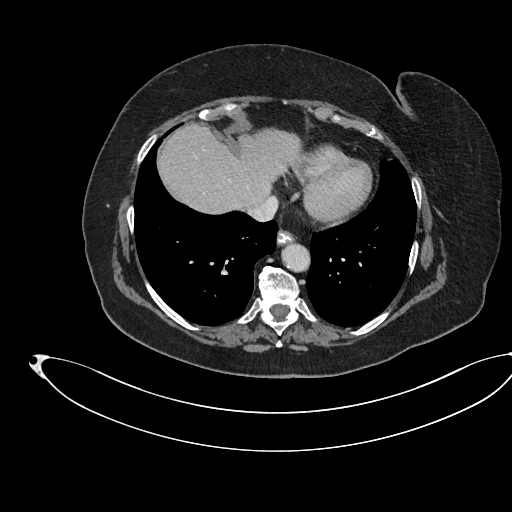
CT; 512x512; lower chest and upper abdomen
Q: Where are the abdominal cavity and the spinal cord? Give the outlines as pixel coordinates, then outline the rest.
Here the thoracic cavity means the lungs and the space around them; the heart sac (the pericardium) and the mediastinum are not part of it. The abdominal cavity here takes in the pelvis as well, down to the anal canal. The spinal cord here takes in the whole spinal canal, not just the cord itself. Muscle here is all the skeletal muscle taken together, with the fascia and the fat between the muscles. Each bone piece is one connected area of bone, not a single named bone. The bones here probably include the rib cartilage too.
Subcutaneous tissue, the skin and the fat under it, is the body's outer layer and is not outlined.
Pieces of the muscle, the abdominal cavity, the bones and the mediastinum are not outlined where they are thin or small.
A: The abdominal cavity is outlined by (243, 109) (251, 125) (243, 133) (271, 128) (298, 135) (301, 141) (300, 152) (271, 185) (271, 194) (258, 205) (246, 208) (246, 213) (233, 210) (221, 214) (208, 214) (174, 199) (162, 183) (156, 166) (157, 150) (163, 138) (182, 122) (214, 120) (225, 115) (237, 114). The spinal cord is outlined by (276, 304) (280, 304) (281, 305) (285, 305) (288, 307) (288, 312) (286, 314) (285, 317) (283, 319) (282, 319) (281, 320) (276, 320) (275, 319) (274, 316) (271, 313) (271, 311) (270, 310) (271, 307) (272, 306) (273, 306). The mediastinum appears in 2 outlined pieces: piece 1: (300, 153) (299, 158) (280, 178) (281, 198) (312, 229) (324, 230) (311, 235) (310, 264) (304, 289) (290, 272) (279, 266) (265, 264) (256, 277) (254, 275) (256, 262) (275, 249) (278, 225) (273, 219) (259, 221) (249, 215) (246, 209) (258, 206) (272, 194) (272, 185); piece 2: (266, 102) (299, 106) (318, 120) (344, 128) (352, 128) (381, 142) (395, 156) (390, 159) (384, 158) (379, 162) (378, 164) (379, 173) (379, 180) (378, 185) (379, 174) (378, 173) (376, 165) (370, 153) (366, 149) (332, 137) (308, 134) (301, 152) (302, 141) (298, 134) (271, 127) (255, 128) (243, 132) (252, 125) (244, 109). The thoracic cavity appears in 2 outlined pieces: piece 1: (178, 124) (162, 138) (155, 155) (157, 173) (171, 197) (203, 214) (221, 215) (238, 211) (259, 222) (273, 220) (277, 225) (273, 251) (258, 259) (253, 267) (258, 295) (237, 318) (217, 325) (190, 322) (159, 295) (146, 277) (135, 242) (133, 202) (139, 168) (158, 138); piece 2: (394, 157) (399, 160) (409, 176) (416, 207) (414, 236) (404, 279) (386, 308) (358, 327) (343, 327) (330, 323) (316, 315) (301, 295) (302, 289) (304, 290) (307, 285) (307, 275) (311, 264) (310, 243) (312, 235) (315, 232) (343, 224) (365, 209) (378, 189) (380, 162). The torso is outlined by (246, 43) (287, 44) (327, 54) (371, 72) (392, 92) (400, 73) (423, 72) (452, 86) (474, 108) (499, 159) (501, 241) (483, 306) (472, 320) (359, 370) (263, 378) (174, 359) (136, 342) (107, 318) (81, 227) (86, 186) (104, 140) (126, 101) (158, 72) (208, 50). The muscle appears in 2 outlined pieces: piece 1: (376, 126) (409, 156) (421, 174) (447, 255) (448, 278) (438, 291) (373, 334) (327, 354) (290, 353) (282, 347) (280, 338) (276, 340) (274, 348) (262, 352) (226, 349) (194, 339) (149, 309) (136, 304) (117, 288) (111, 266) (113, 236) (118, 206) (137, 152) (135, 160) (138, 171) (133, 201) (126, 207) (125, 218) (145, 275) (143, 285) (151, 299) (169, 318) (190, 331) (232, 321) (233, 325) (244, 325) (258, 318) (273, 329) (278, 337) (301, 316) (311, 323) (317, 323) (319, 317) (339, 327) (354, 328) (348, 332) (353, 336) (373, 330) (391, 313) (387, 307) (406, 274) (410, 276) (415, 269) (420, 246) (414, 238) (416, 219) (417, 211) (422, 207) (422, 188) (418, 175) (409, 175) (400, 160) (383, 143) (384, 136); piece 2: (239, 95) (270, 95) (327, 101) (351, 113) (361, 116) (372, 123) (355, 118) (344, 117) (337, 112) (333, 112) (326, 106) (318, 106) (314, 108) (310, 107) (307, 110) (308, 112) (299, 105) (288, 104) (288, 101) (284, 98) (281, 101) (259, 102) (255, 105) (244, 108) (237, 102) (226, 102) (214, 107) (205, 107) (197, 112) (196, 116) (198, 119) (182, 121) (172, 126) (160, 136) (154, 132) (147, 137) (147, 134) (155, 126) (184, 110) (214, 99). The bones appear in 9 outlined pieces: piece 1: (265, 265) (282, 268) (290, 273) (299, 282) (301, 290) (300, 295) (318, 318) (319, 320) (317, 322) (311, 322) (301, 315) (295, 322) (290, 324) (280, 336) (278, 336) (273, 328) (264, 323) (258, 317) (244, 324) (233, 324) (233, 321) (241, 316) (259, 295) (257, 275); inner edge: (276, 304) (280, 304) (281, 305) (285, 305) (288, 307) (288, 312) (286, 314) (285, 317) (283, 319) (282, 319) (281, 320) (276, 320) (275, 319) (274, 316) (271, 313) (271, 311) (270, 310) (271, 307) (272, 306) (273, 306); piece 2: (318, 107) (326, 107) (333, 113) (337, 113) (344, 118) (355, 119) (363, 122) (367, 122) (373, 124) (382, 134) (383, 141) (382, 142) (375, 138) (367, 136) (352, 127) (344, 127) (339, 124) (334, 123) (328, 117) (324, 120) (316, 118) (308, 110) (310, 108) (314, 109); piece 3: (144, 278) (146, 278) (147, 279) (150, 285) (155, 290) (158, 295) (173, 310) (174, 310) (190, 323) (194, 325) (199, 325) (200, 326) (200, 329) (199, 330) (190, 330) (182, 326) (169, 317) (156, 304) (156, 303) (150, 296) (144, 285) (144, 282) (143, 281) (143, 279); piece 4: (226, 103) (237, 103) (241, 106) (242, 108) (241, 110) (242, 111) (240, 111) (237, 113) (232, 113) (231, 114) (220, 114) (214, 119) (210, 119) (209, 120) (204, 120) (203, 119) (200, 119) (198, 118) (197, 116) (198, 112) (202, 109) (204, 109) (205, 108) (214, 108); piece 5: (387, 308) (389, 308) (390, 309) (390, 313) (381, 323) (380, 323) (373, 329) (368, 331) (366, 333) (364, 333) (360, 335) (353, 335) (349, 333) (349, 332) (351, 330) (356, 329) (360, 326) (363, 325) (365, 323) (368, 322) (370, 320) (373, 319); piece 6: (154, 133) (156, 133) (158, 135) (158, 137) (155, 141) (155, 142) (149, 149) (145, 157) (141, 162) (139, 167) (138, 167) (137, 166) (137, 161) (136, 160) (137, 158) (137, 154) (138, 153) (138, 151) (140, 147) (144, 142) (144, 141) (148, 137) (149, 137) (152, 134); piece 7: (413, 174) (416, 174) (417, 175) (419, 182) (420, 183) (420, 187) (421, 188) (421, 207) (419, 210) (417, 210) (417, 207) (416, 206) (416, 203) (415, 202) (415, 199) (414, 198) (414, 194) (413, 193) (413, 190) (411, 186) (411, 180) (410, 179) (410, 177); piece 8: (414, 239) (416, 239) (418, 241) (418, 244) (419, 246) (418, 247) (418, 253) (417, 254) (417, 258) (416, 259) (416, 262) (415, 263) (414, 269) (412, 273) (409, 275) (407, 273) (407, 271) (408, 270) (408, 261) (409, 260) (409, 255) (410, 254) (411, 247) (412, 246); piece 9: (129, 204) (132, 204) (133, 205) (133, 213) (134, 214) (134, 220) (133, 221) (133, 225) (134, 226) (133, 227) (133, 229) (134, 231) (133, 232) (133, 235) (132, 235) (130, 233) (129, 226) (128, 225) (128, 223) (127, 222) (127, 219) (126, 218) (126, 210). The pericardium is outlined by (308, 135) (318, 135) (322, 137) (332, 138) (366, 150) (369, 153) (378, 174) (377, 185) (375, 188) (375, 191) (373, 193) (371, 199) (369, 200) (365, 207) (347, 221) (325, 229) (312, 228) (306, 220) (285, 202) (282, 198) (281, 178) (300, 158) (305, 143) (305, 140).